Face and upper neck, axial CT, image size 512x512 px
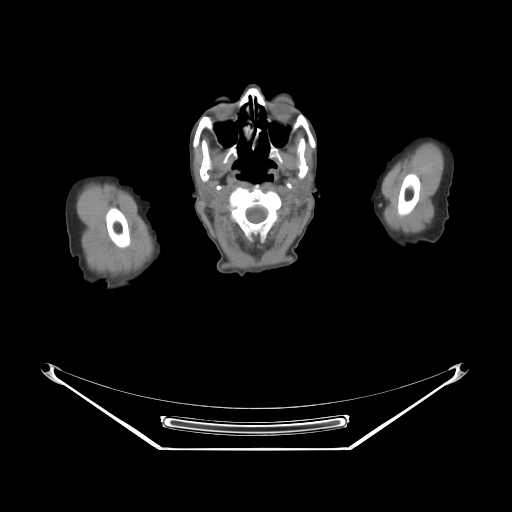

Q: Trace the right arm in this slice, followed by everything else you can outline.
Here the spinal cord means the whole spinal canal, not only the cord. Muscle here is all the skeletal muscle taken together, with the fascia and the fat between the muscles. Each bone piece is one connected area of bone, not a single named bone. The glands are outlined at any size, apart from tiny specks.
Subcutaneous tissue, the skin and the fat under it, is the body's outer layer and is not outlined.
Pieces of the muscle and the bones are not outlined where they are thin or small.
A: Outlined structures:
right arm: (90, 172) (109, 172) (117, 174) (122, 182) (131, 184) (143, 199) (150, 202) (147, 217) (156, 230) (157, 237) (161, 243) (161, 253) (149, 270) (129, 287) (108, 290) (102, 282) (93, 284) (85, 282) (78, 267) (77, 258) (70, 255) (64, 214) (66, 194) (76, 178)
muscle 1: (300, 127) (305, 138) (299, 138) (295, 151) (297, 177) (301, 180) (297, 195) (300, 198) (311, 195) (311, 209) (288, 250) (289, 260) (257, 268) (224, 267) (226, 257) (198, 210) (198, 201) (208, 201) (211, 193) (194, 174) (193, 148) (200, 144) (202, 157) (198, 174) (203, 182) (209, 180) (208, 172) (212, 168) (207, 141) (201, 138) (206, 129) (226, 148) (222, 162) (227, 163) (232, 156) (235, 160) (232, 167) (240, 167) (235, 176) (253, 183) (251, 189) (237, 186) (232, 190) (228, 196) (228, 208) (230, 218) (245, 237) (249, 241) (257, 238) (262, 243) (279, 219) (282, 199) (275, 190) (264, 191) (260, 182) (273, 179) (267, 171) (268, 166) (276, 166) (273, 159) (279, 163) (283, 161) (280, 147) (290, 133)
muscle 2: (91, 180) (97, 180) (100, 182) (110, 181) (127, 190) (136, 201) (139, 214) (147, 225) (154, 240) (155, 250) (152, 258) (141, 269) (127, 276) (112, 278) (107, 274) (98, 274) (93, 272) (87, 267) (81, 247) (75, 203) (76, 195) (80, 187) (84, 183) with a hole at (111, 207) (116, 207) (119, 210) (120, 210) (124, 215) (127, 221) (127, 224) (129, 229) (129, 237) (130, 238) (130, 243) (129, 245) (126, 247) (122, 248) (117, 246) (111, 240) (108, 234) (108, 231) (106, 226) (105, 216) (107, 211)
muscle 3: (427, 141) (436, 143) (441, 148) (444, 156) (444, 169) (438, 188) (438, 204) (436, 216) (432, 224) (421, 233) (407, 236) (403, 234) (398, 234) (391, 231) (387, 227) (382, 218) (379, 199) (381, 184) (385, 175) (399, 159) (402, 158) (408, 152) (414, 149) (421, 143) with a hole at (409, 173) (414, 173) (419, 178) (419, 180) (420, 181) (419, 198) (413, 209) (408, 214) (404, 215) (403, 216) (400, 216) (397, 213) (397, 202) (398, 201) (398, 196) (399, 195) (399, 192) (400, 191) (400, 188) (401, 187) (403, 179) (404, 177)
bones 1: (256, 183) (259, 183) (260, 188) (264, 192) (268, 190) (275, 191) (281, 199) (281, 206) (278, 210) (278, 219) (268, 230) (262, 242) (257, 237) (254, 237) (252, 240) (249, 240) (246, 237) (239, 225) (231, 218) (229, 208) (229, 196) (232, 191) (237, 187) (251, 190); inner edge: (256, 206) (261, 206) (262, 207) (265, 208) (267, 211) (267, 214) (266, 215) (266, 217) (263, 220) (262, 220) (259, 222) (257, 222) (256, 223) (255, 223) (254, 222) (252, 222) (251, 221) (250, 221) (246, 217) (246, 210) (249, 208) (252, 208) (253, 207) (255, 207)
bones 2: (250, 87) (258, 88) (265, 96) (267, 113) (274, 121) (267, 123) (266, 128) (271, 142) (279, 148) (281, 162) (268, 159) (270, 147) (264, 126) (254, 149) (241, 131) (238, 158) (231, 155) (223, 162) (227, 148) (240, 133) (239, 124) (230, 120) (237, 110) (235, 103)
bones 3: (111, 207) (116, 207) (119, 210) (120, 210) (124, 215) (127, 221) (127, 224) (129, 229) (129, 237) (130, 238) (130, 243) (129, 245) (126, 247) (122, 248) (117, 246) (111, 240) (108, 234) (108, 231) (106, 226) (105, 216) (107, 211)
bones 4: (409, 173) (414, 173) (419, 178) (419, 180) (420, 181) (419, 198) (413, 209) (408, 214) (404, 215) (403, 216) (400, 216) (397, 213) (397, 202) (398, 201) (398, 196) (399, 195) (399, 192) (400, 191) (400, 188) (401, 187) (403, 179) (404, 177)
bones 5: (204, 115) (210, 116) (215, 124) (213, 127) (215, 135) (206, 128) (202, 130) (200, 135) (200, 138) (206, 141) (211, 161) (211, 168) (207, 172) (209, 175) (207, 181) (203, 181) (199, 174) (199, 169) (203, 157) (201, 144) (200, 143) (194, 148) (192, 145) (198, 122)
bones 6: (300, 113) (305, 116) (316, 143) (316, 147) (314, 149) (308, 142) (305, 145) (304, 157) (308, 170) (305, 176) (301, 179) (298, 177) (299, 169) (297, 166) (298, 157) (296, 151) (300, 138) (303, 137) (305, 139) (306, 133) (301, 126) (295, 131) (290, 132) (291, 125)
parotid glands 1: (309, 172) (312, 172) (312, 179) (311, 180) (311, 189) (310, 190) (310, 191) (311, 192) (311, 194) (310, 195) (309, 195) (306, 197) (300, 197) (298, 195) (298, 192) (299, 191) (299, 189) (298, 188) (298, 185) (299, 184) (299, 183) (306, 176) (306, 175)
parotid glands 2: (195, 177) (196, 178) (197, 178) (199, 180) (199, 181) (208, 190) (208, 191) (210, 193) (210, 198) (208, 200) (201, 200) (200, 199) (199, 199) (199, 195) (198, 194) (198, 189) (197, 188) (197, 185) (196, 184) (196, 180) (195, 179)
head and neck: (249, 82) (258, 83) (266, 97) (280, 91) (294, 97) (317, 135) (317, 186) (333, 197) (313, 194) (314, 216) (295, 249) (298, 258) (293, 264) (242, 277) (235, 273) (220, 273) (216, 269) (219, 253) (194, 211) (188, 138) (192, 125) (217, 94) (225, 93) (237, 100), around holes outlined by (262, 127) (265, 128) (268, 140) (267, 159) (275, 166) (268, 165) (266, 169) (272, 179) (254, 183) (238, 178) (236, 175) (240, 173) (241, 167) (239, 165) (234, 168) (233, 164) (239, 158) (238, 141) (241, 132) (244, 140) (250, 142) (250, 147) (254, 150) and by (227, 121) (231, 121) (237, 123) (238, 124) (237, 127) (239, 128) (239, 133) (238, 131) (237, 132) (236, 135) (236, 138) (237, 139) (236, 141) (232, 145) (226, 147) (222, 145) (222, 144) (218, 141) (218, 138) (214, 130) (214, 127) (216, 124) (223, 123) and by (271, 122) (276, 122) (280, 124) (282, 126) (285, 126) (289, 128) (289, 133) (287, 137) (287, 140) (283, 145) (279, 147) (278, 146) (276, 146) (274, 145) (274, 144) (272, 142) (270, 138) (270, 134) (269, 133) (269, 130) (267, 128) (267, 124)
spinal cord: (256, 206) (261, 206) (262, 207) (265, 208) (267, 211) (267, 214) (266, 215) (266, 217) (263, 220) (262, 220) (259, 222) (257, 222) (256, 223) (255, 223) (254, 222) (252, 222) (251, 221) (250, 221) (246, 217) (246, 210) (249, 208) (252, 208) (253, 207) (255, 207)
left arm: (424, 131) (433, 132) (443, 137) (453, 151) (454, 171) (448, 196) (449, 218) (445, 223) (445, 229) (441, 238) (436, 243) (421, 242) (405, 249) (397, 248) (391, 245) (384, 237) (382, 226) (373, 210) (370, 196) (375, 187) (376, 179) (385, 167) (386, 162) (412, 137)